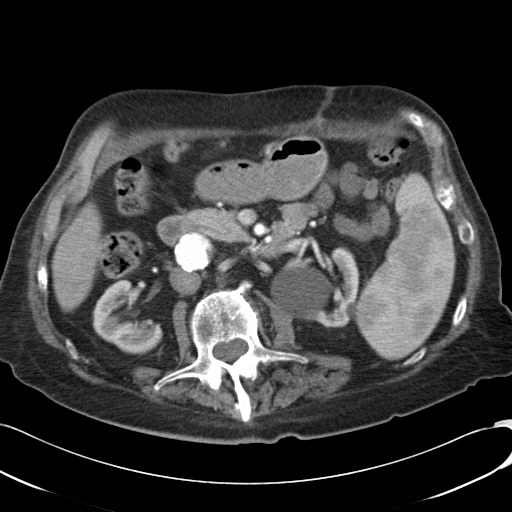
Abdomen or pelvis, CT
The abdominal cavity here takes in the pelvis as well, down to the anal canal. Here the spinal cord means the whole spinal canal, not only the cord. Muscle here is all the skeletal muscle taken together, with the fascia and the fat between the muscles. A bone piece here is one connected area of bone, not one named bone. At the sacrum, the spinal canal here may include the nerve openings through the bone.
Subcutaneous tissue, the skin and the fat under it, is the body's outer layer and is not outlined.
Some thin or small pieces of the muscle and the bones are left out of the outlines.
The torso is outlined by 292 83; 395 86; 423 99; 445 120; 497 238; 501 298; 511 309; 511 375; 481 379; 448 399; 371 427; 237 445; 181 441; 110 425; 65 408; 14 377; 0 361; 0 276; 16 224; 82 111; 126 88; 239 92. The spinal cord is outlined by 235 339; 240 339; 244 341; 246 343; 246 345; 247 346; 247 349; 245 351; 245 352; 241 354; 231 363; 226 362; 222 359; 217 358; 213 354; 213 349; 214 347; 217 344; 219 343; 227 343. The bones appear in 9 outlined pieces: piece 1: 244 279; 252 283; 249 298; 262 343; 303 355; 308 362; 260 364; 254 380; 244 378; 253 405; 247 421; 234 408; 237 397; 226 373; 217 390; 196 377; 185 377; 155 391; 160 378; 197 357; 189 322; 198 300; 213 291; 235 288 with a hole at 235 339; 240 339; 244 341; 246 343; 246 345; 247 346; 247 349; 245 351; 245 352; 241 354; 231 363; 226 362; 222 359; 217 358; 213 354; 213 349; 214 347; 217 344; 219 343; 227 343; piece 2: 99 134; 103 134; 105 135; 107 138; 107 140; 104 144; 103 147; 101 149; 100 155; 94 166; 94 170; 93 171; 92 179; 89 183; 85 184; 83 183; 81 180; 81 177; 82 176; 81 174; 81 155; 84 149; 87 146; 89 142; piece 3: 410 111; 412 111; 413 112; 415 112; 419 114; 423 118; 431 122; 435 126; 435 127; 438 130; 438 131; 442 136; 442 143; 440 146; 438 147; 430 147; 426 144; 422 136; 422 134; 420 130; 414 125; 410 123; 405 116; 406 113; piece 4: 60 191; 65 192; 67 195; 67 197; 60 206; 60 210; 58 215; 58 221; 55 227; 55 229; 51 235; 51 237; 49 239; 45 239; 43 237; 43 234; 42 233; 45 225; 44 222; 45 221; 45 212; 46 211; 46 208; 50 200; piece 5: 445 177; 447 177; 451 180; 453 184; 453 189; 454 190; 454 192; 456 196; 455 198; 455 203; 452 206; 450 210; 447 210; 444 208; 444 207; 440 202; 437 196; 437 189; 438 188; 438 184; 440 180; piece 6: 464 219; 466 219; 470 222; 470 223; 473 228; 473 230; 474 231; 474 240; 473 241; 473 242; 470 244; 463 244; 460 241; 460 239; 459 238; 459 236; 458 235; 458 231; 457 230; 457 225; 461 222; 462 222; piece 7: 462 296; 464 296; 467 300; 466 301; 466 309; 465 310; 465 313; 464 314; 464 316; 463 318; 461 320; 459 324; 455 326; 452 324; 452 316; 454 313; 454 311; 456 308; 456 306; 458 303; 458 301; piece 8: 39 263; 42 263; 43 264; 44 264; 46 266; 46 269; 47 270; 47 290; 46 291; 46 292; 43 292; 42 291; 41 291; 39 289; 39 288; 38 287; 38 283; 37 282; 37 269; 38 268; 38 265; 39 264; piece 9: 422 348; 425 348; 426 350; 425 351; 425 353; 424 355; 421 359; 420 359; 418 361; 414 363; 412 363; 411 364; 408 364; 407 365; 403 365; 403 362; 404 361; 407 360; 409 358; 413 356. The muscle is outlined by 401 104; 412 106; 440 126; 453 171; 474 214; 481 246; 482 277; 469 328; 414 375; 252 419; 254 405; 243 384; 244 379; 258 377; 260 365; 309 362; 303 354; 263 343; 251 290; 287 315; 302 350; 339 355; 362 364; 414 364; 428 346; 446 335; 451 323; 456 327; 464 318; 468 300; 462 295; 468 274; 464 245; 474 242; 474 228; 466 218; 454 224; 448 212; 456 203; 454 184; 445 176; 436 186; 425 146; 396 135; 332 138; 253 132; 160 139; 100 173; 55 234; 46 263; 38 263; 37 287; 47 291; 51 321; 66 338; 65 349; 74 360; 79 358; 77 350; 103 364; 132 368; 172 364; 180 356; 172 314; 176 303; 187 302; 192 310; 188 327; 196 357; 164 374; 152 388; 157 392; 167 383; 196 378; 217 391; 226 374; 236 397; 233 408; 241 421; 164 406; 92 384; 74 373; 68 366; 69 358; 38 333; 26 297; 33 227; 78 141; 95 122; 114 116; 134 128; 166 124; 250 129; 322 116; 375 118; 392 114, around holes outlined by 99 134; 103 134; 105 135; 107 138; 107 140; 104 144; 103 147; 101 149; 100 155; 94 166; 94 170; 93 171; 92 179; 89 183; 85 184; 83 183; 81 180; 81 177; 82 176; 81 174; 81 155; 84 149; 87 146; 89 142 and by 410 111; 412 111; 413 112; 415 112; 419 114; 423 118; 431 122; 435 126; 435 127; 438 130; 438 131; 442 136; 442 143; 440 146; 438 147; 430 147; 426 144; 422 136; 422 134; 420 130; 414 125; 410 123; 405 116; 406 113 and by 60 191; 65 192; 67 195; 67 197; 60 206; 60 210; 58 215; 58 221; 55 227; 55 229; 51 235; 51 237; 49 239; 45 239; 43 237; 43 234; 42 233; 45 225; 44 222; 45 221; 45 212; 46 211; 46 208; 50 200. The abdominal cavity is outlined by 253 133; 396 136; 424 146; 436 196; 467 252; 465 287; 445 335; 401 363; 304 350; 288 315; 244 278; 202 296; 192 309; 185 300; 175 303; 179 356; 172 363; 132 367; 81 353; 52 321; 46 264; 56 234; 93 182; 166 138.